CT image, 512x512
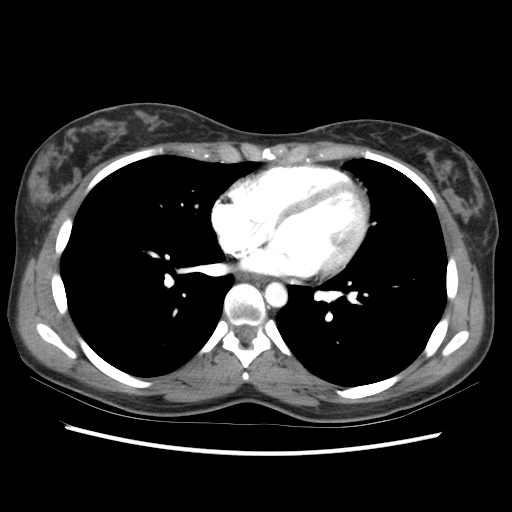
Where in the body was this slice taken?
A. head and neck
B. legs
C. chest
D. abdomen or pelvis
Answer: C. chest
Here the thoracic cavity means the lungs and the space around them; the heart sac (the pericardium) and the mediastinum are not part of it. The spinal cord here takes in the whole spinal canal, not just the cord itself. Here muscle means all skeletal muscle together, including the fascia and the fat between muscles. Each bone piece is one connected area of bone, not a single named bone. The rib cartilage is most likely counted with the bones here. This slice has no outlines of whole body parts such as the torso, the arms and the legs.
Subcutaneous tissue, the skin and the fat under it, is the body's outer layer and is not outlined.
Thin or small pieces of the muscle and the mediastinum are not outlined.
{"bones":[{"outer":[[238,284],[249,284],[260,293],[267,316],[274,320],[294,357],[287,356],[273,345],[250,362],[245,369],[248,373],[246,381],[242,378],[245,369],[240,360],[234,353],[224,349],[220,343],[211,351],[199,356],[196,355],[222,317],[227,292],[232,286]],"hole":[[242,325],[249,325],[250,326],[251,326],[252,327],[254,327],[255,328],[255,336],[250,341],[250,342],[248,344],[245,344],[244,343],[242,343],[236,336],[236,335],[235,334],[235,330],[236,329],[236,328],[237,327],[238,327],[239,326],[241,326]]},[[242,144],[260,150],[280,144],[288,148],[303,144],[312,150],[335,145],[368,149],[415,172],[432,191],[437,206],[402,172],[359,156],[310,163],[247,159],[227,163],[190,157],[176,150],[174,147],[178,145],[198,146],[214,152],[222,145],[238,147]],[[78,332],[87,344],[106,362],[117,369],[123,372],[125,372],[132,376],[140,378],[143,380],[150,381],[152,382],[152,384],[150,386],[145,387],[144,388],[133,387],[124,383],[122,383],[101,371],[88,359],[81,349],[80,345],[76,338],[76,334]],[[158,145],[161,145],[163,146],[164,148],[164,152],[162,154],[156,154],[155,155],[148,156],[133,161],[118,168],[103,178],[98,182],[84,197],[83,196],[84,191],[90,181],[98,171],[102,168],[114,160],[131,152],[137,151],[148,147],[157,146]],[[406,368],[407,368],[402,377],[393,385],[380,392],[371,395],[359,397],[358,398],[345,398],[337,394],[335,391],[336,389],[342,389],[343,388],[353,387],[354,386],[361,386],[362,385],[367,385],[375,382],[378,382],[389,377],[391,377]],[[443,313],[447,313],[449,315],[449,322],[448,323],[448,326],[447,327],[447,331],[445,334],[445,336],[442,342],[440,344],[440,345],[438,347],[436,351],[431,356],[426,358],[425,356],[422,353],[422,351],[424,349],[434,328],[438,323]],[[55,271],[59,271],[60,273],[60,275],[62,279],[62,282],[63,283],[63,286],[64,287],[65,296],[67,301],[68,312],[64,315],[60,314],[56,306],[56,304],[52,294],[52,289],[51,288],[51,278],[52,277],[52,274]],[[37,323],[43,323],[49,326],[53,330],[54,330],[54,331],[60,337],[62,341],[66,345],[67,345],[75,353],[76,355],[76,357],[75,358],[71,358],[69,357],[61,349],[60,349],[57,346],[44,340],[40,336],[40,335],[36,330],[36,324]],[[448,254],[451,254],[455,259],[455,261],[456,262],[456,266],[457,267],[457,275],[458,276],[456,294],[453,300],[451,300],[450,301],[449,300],[447,300],[447,295],[446,294],[446,274],[447,273],[447,261],[448,260],[447,256]],[[68,216],[70,216],[73,218],[72,226],[71,227],[71,231],[69,234],[69,237],[67,241],[67,244],[60,258],[56,258],[55,256],[55,242],[56,241],[56,237],[57,236],[57,234],[59,231],[59,228],[62,222],[64,220],[64,219]],[[461,330],[467,330],[469,333],[468,338],[466,340],[466,341],[463,344],[462,344],[457,349],[456,349],[448,355],[447,355],[446,356],[444,356],[443,355],[442,355],[442,350],[445,346],[445,345],[449,341],[449,340],[457,332],[458,332]]],"spinal_cord":[[[242,325],[249,325],[250,326],[251,326],[252,327],[254,327],[255,328],[255,336],[250,341],[250,342],[248,344],[245,344],[244,343],[242,343],[236,336],[236,335],[235,334],[235,330],[236,329],[236,328],[237,327],[238,327],[239,326],[241,326]]],"thoracic_cavity":[[[163,154],[227,164],[251,161],[258,166],[227,187],[210,210],[211,227],[225,259],[223,266],[233,276],[233,283],[223,299],[221,317],[195,355],[183,365],[161,375],[138,377],[106,361],[80,334],[69,312],[60,262],[74,218],[90,191],[118,169]],[[354,158],[372,160],[397,170],[411,180],[433,205],[447,258],[446,302],[423,349],[409,365],[381,380],[344,387],[309,371],[294,356],[275,319],[288,302],[290,285],[316,287],[333,278],[352,261],[367,235],[372,224],[368,189],[344,167],[347,161]]],"muscle":[{"outer":[[294,141],[331,141],[380,150],[412,165],[433,184],[464,233],[465,244],[479,273],[485,311],[481,341],[473,355],[456,371],[430,386],[397,398],[366,403],[327,402],[318,407],[297,406],[267,395],[247,382],[220,397],[198,402],[172,402],[160,395],[96,389],[48,368],[29,353],[16,328],[18,294],[28,261],[39,252],[52,219],[85,175],[103,161],[133,151],[97,171],[84,189],[84,198],[74,217],[68,215],[61,222],[54,242],[54,256],[60,259],[59,270],[50,278],[55,306],[60,315],[69,313],[77,330],[75,338],[80,349],[101,372],[127,386],[144,389],[153,382],[141,378],[170,373],[220,344],[239,360],[244,369],[241,378],[246,382],[249,379],[246,369],[251,362],[274,346],[287,357],[295,358],[312,374],[343,387],[334,391],[340,397],[358,399],[393,386],[421,353],[426,359],[431,357],[448,331],[450,315],[444,309],[447,301],[456,297],[459,280],[456,259],[446,252],[435,208],[438,201],[433,191],[405,164],[368,148],[335,144],[312,149],[303,143],[288,147],[280,143]],"holes":[[[37,323],[43,323],[49,326],[53,330],[54,330],[54,331],[60,337],[62,341],[66,345],[67,345],[75,353],[76,355],[76,357],[75,358],[71,358],[69,357],[61,349],[60,349],[57,346],[44,340],[40,336],[40,335],[36,330],[36,324]],[[461,330],[467,330],[469,333],[468,338],[466,340],[466,341],[463,344],[462,344],[457,349],[456,349],[448,355],[447,355],[446,356],[444,356],[443,355],[442,355],[442,350],[445,346],[445,345],[449,341],[449,340],[457,332],[458,332]]]}],"mediastinum":[[[224,262],[226,262],[246,274],[273,277],[293,284],[290,284],[288,286],[287,288],[288,290],[287,302],[279,310],[274,319],[268,316],[267,308],[264,299],[261,293],[253,285],[249,283],[238,283],[233,285],[234,276],[226,270],[226,267],[224,266]]],"pericardium":[[[276,162],[339,166],[341,169],[346,170],[361,181],[367,189],[371,208],[371,223],[367,229],[366,235],[346,267],[333,277],[320,283],[292,283],[273,276],[246,273],[226,261],[225,255],[218,244],[211,223],[211,210],[214,202],[239,178],[267,164]]]}